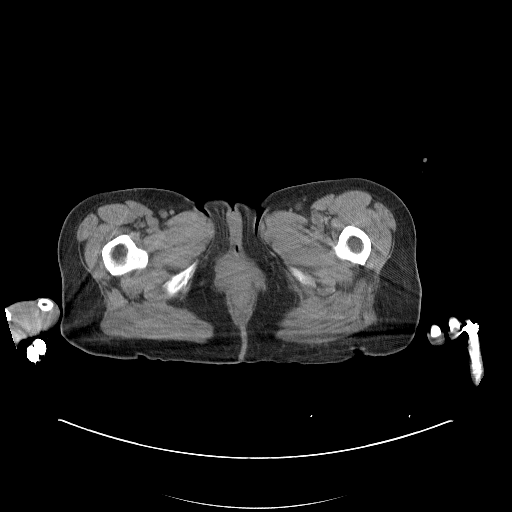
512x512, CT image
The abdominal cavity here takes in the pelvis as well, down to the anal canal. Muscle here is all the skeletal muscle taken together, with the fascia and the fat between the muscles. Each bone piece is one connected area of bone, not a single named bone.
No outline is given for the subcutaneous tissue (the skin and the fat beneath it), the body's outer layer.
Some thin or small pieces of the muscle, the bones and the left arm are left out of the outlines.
{"muscle":[{"outer":[[353,189],[370,193],[374,200],[390,210],[396,223],[394,249],[381,270],[375,294],[374,308],[379,320],[325,344],[310,345],[277,338],[278,323],[297,305],[298,297],[289,288],[284,273],[261,238],[266,217],[275,210],[291,209],[303,214],[316,199]],"holes":[[[347,225],[353,225],[356,227],[360,228],[368,235],[371,241],[371,250],[365,263],[363,265],[356,264],[348,260],[345,260],[344,259],[341,259],[339,258],[336,255],[334,250],[332,248],[332,246],[335,245],[337,243],[339,234],[341,232],[342,229]],[[291,267],[295,267],[301,270],[306,275],[307,275],[309,277],[308,279],[309,281],[309,283],[307,284],[302,284],[299,281],[298,281],[298,280],[296,279],[296,278],[292,274],[290,270],[290,268]]]},{"outer":[[127,199],[144,204],[162,222],[179,212],[190,210],[213,225],[213,237],[204,265],[194,274],[191,287],[181,302],[182,306],[212,324],[214,336],[205,342],[124,339],[104,335],[101,331],[103,298],[97,284],[80,263],[76,229],[85,214],[97,204]],"holes":[[[120,234],[128,234],[138,247],[142,249],[144,249],[148,254],[148,261],[147,262],[146,266],[144,268],[142,268],[141,269],[134,269],[122,275],[114,276],[112,275],[106,269],[104,265],[103,260],[102,259],[101,250],[104,244],[105,244],[114,237]],[[195,261],[196,261],[197,262],[197,264],[196,265],[195,270],[194,271],[192,276],[188,280],[188,281],[185,285],[185,286],[173,296],[169,296],[168,295],[165,288],[164,287],[163,287],[163,284],[166,281],[167,281],[173,275],[182,271]]]},[[25,301],[34,302],[38,309],[42,313],[47,313],[54,309],[54,317],[53,320],[48,326],[44,327],[37,332],[34,332],[28,335],[23,335],[13,341],[9,331],[9,325],[7,323],[7,321],[9,321],[12,318],[12,314],[8,308],[10,306]],{"outer":[[229,252],[239,253],[241,255],[246,256],[249,258],[256,265],[261,268],[266,281],[265,292],[262,293],[259,290],[258,291],[255,301],[255,309],[246,322],[241,326],[238,326],[234,322],[228,310],[228,306],[224,296],[214,289],[216,261],[221,256]],"hole":[[227,256],[236,256],[244,259],[248,264],[254,269],[257,270],[259,275],[257,278],[256,285],[252,294],[249,308],[240,318],[238,317],[238,313],[232,307],[231,301],[226,292],[226,290],[220,286],[220,284],[218,283],[220,267],[223,262],[223,260]]}],"abdominal_cavity":[[[227,256],[236,256],[244,259],[248,264],[254,269],[257,270],[259,275],[257,278],[256,285],[252,294],[249,308],[240,318],[238,317],[238,313],[232,307],[231,301],[226,292],[226,290],[220,286],[220,284],[218,283],[220,267],[223,262],[223,260]]],"torso":[[[341,177],[388,187],[413,218],[421,308],[406,348],[383,356],[358,350],[338,363],[206,364],[98,356],[61,335],[57,242],[65,217],[84,198],[163,188],[185,195],[201,211],[213,197],[231,206],[247,202],[256,208],[257,221],[261,201],[273,191]]],"right_arm":[[[38,297],[49,298],[53,300],[57,304],[60,309],[58,321],[52,329],[37,335],[33,335],[28,339],[25,339],[15,345],[12,340],[11,334],[9,331],[9,325],[7,323],[8,320],[6,317],[5,309],[8,305],[13,302],[25,299],[34,299]]],"bones":[[[120,234],[128,234],[138,247],[142,249],[144,249],[148,254],[148,261],[147,262],[146,266],[144,268],[142,268],[141,269],[134,269],[122,275],[114,276],[112,275],[106,269],[104,265],[103,260],[102,259],[101,250],[104,244],[105,244],[114,237]],[[347,225],[353,225],[356,227],[360,228],[368,235],[371,241],[371,250],[365,263],[363,265],[356,264],[348,260],[345,260],[344,259],[341,259],[339,258],[336,255],[334,250],[332,248],[332,246],[335,245],[337,243],[339,234],[341,232],[342,229]],[[195,261],[196,261],[197,262],[197,264],[196,265],[195,270],[194,271],[192,276],[188,280],[188,281],[185,285],[185,286],[173,296],[169,296],[168,295],[165,288],[164,287],[163,287],[163,284],[166,281],[167,281],[173,275],[182,271]],[[291,267],[295,267],[301,270],[306,275],[307,275],[309,277],[308,279],[309,281],[309,283],[307,284],[302,284],[299,281],[298,281],[298,280],[296,279],[296,278],[292,274],[290,270],[290,268]],[[40,298],[46,298],[47,299],[49,299],[50,300],[51,300],[53,302],[53,308],[50,311],[48,311],[47,312],[42,312],[39,309],[39,308],[37,306],[37,302],[38,301],[38,300]],[[452,317],[453,317],[454,318],[455,318],[459,322],[459,331],[459,330],[458,329],[456,329],[452,333],[450,331],[450,328],[449,327],[449,319],[450,318],[451,318]],[[433,325],[436,325],[437,326],[438,326],[439,327],[439,328],[440,329],[440,330],[441,331],[441,336],[440,336],[439,337],[438,337],[437,338],[433,338],[431,336],[431,334],[430,333],[430,331],[431,330],[431,327]]],"left_arm":[[[433,325],[436,325],[437,326],[438,326],[439,327],[439,328],[443,335],[443,340],[444,341],[443,342],[443,343],[442,343],[439,345],[432,345],[429,342],[429,341],[427,338],[427,332],[428,331],[428,330],[429,330],[430,329],[430,328]],[[452,317],[453,317],[454,318],[455,318],[459,322],[459,331],[458,332],[458,333],[456,335],[456,336],[455,337],[454,337],[452,339],[451,339],[450,338],[450,337],[449,336],[449,331],[450,330],[450,328],[449,327],[449,319],[450,318],[451,318]]]}